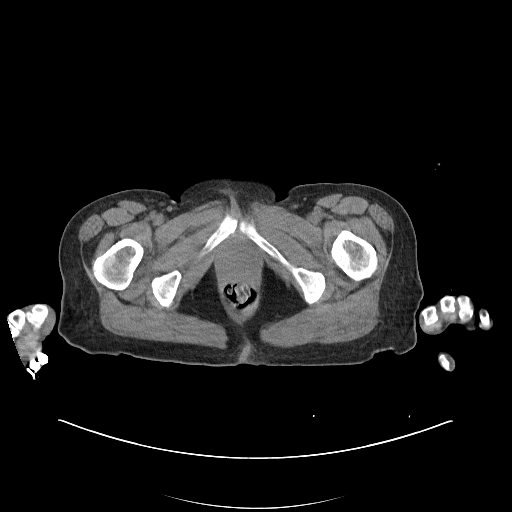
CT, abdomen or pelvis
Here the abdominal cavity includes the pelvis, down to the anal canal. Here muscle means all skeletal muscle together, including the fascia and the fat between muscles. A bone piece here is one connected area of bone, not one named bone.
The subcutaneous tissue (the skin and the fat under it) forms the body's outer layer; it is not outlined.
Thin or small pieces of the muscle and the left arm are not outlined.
Outlines:
left arm 1: (460, 294) (467, 296) (473, 300) (478, 309) (482, 306) (485, 307) (489, 316) (492, 318) (492, 327) (488, 330) (484, 330) (479, 326) (473, 329) (468, 329) (459, 323) (452, 323) (441, 333) (435, 335) (424, 333) (417, 320) (422, 311) (429, 304) (445, 296)
left arm 2: (440, 350) (445, 350) (447, 352) (448, 352) (454, 358) (454, 360) (455, 361) (455, 369) (453, 371) (447, 371) (446, 370) (445, 370) (442, 367) (442, 366) (439, 363) (439, 362) (438, 361) (438, 352)
right arm: (30, 303) (48, 304) (52, 306) (57, 315) (57, 325) (52, 329) (51, 332) (42, 342) (42, 348) (41, 351) (39, 352) (40, 353) (39, 355) (24, 364) (18, 353) (17, 348) (13, 342) (14, 339) (11, 337) (10, 329) (7, 322) (7, 317) (14, 310)
bones 1: (226, 214) (239, 221) (245, 220) (252, 222) (256, 230) (292, 265) (321, 272) (325, 277) (325, 289) (319, 299) (311, 304) (307, 303) (304, 300) (300, 286) (292, 274) (279, 261) (242, 233) (238, 227) (233, 234) (225, 237) (211, 251) (200, 257) (199, 253) (206, 241)
bones 2: (122, 238) (131, 238) (134, 239) (141, 244) (143, 247) (144, 252) (142, 258) (139, 264) (135, 269) (133, 273) (133, 276) (127, 287) (122, 290) (114, 290) (108, 288) (106, 286) (101, 284) (95, 278) (92, 270) (92, 265) (94, 260) (98, 256) (101, 255) (110, 246)
bones 3: (344, 229) (349, 230) (354, 234) (365, 239) (374, 247) (376, 251) (376, 255) (377, 256) (378, 262) (377, 263) (377, 268) (376, 270) (369, 278) (366, 278) (362, 280) (356, 281) (350, 278) (331, 259) (331, 257) (330, 256) (330, 249) (332, 246) (333, 241) (337, 235)
bones 4: (36, 304) (44, 304) (47, 306) (48, 309) (48, 314) (40, 328) (35, 329) (31, 324) (27, 323) (21, 330) (19, 335) (15, 338) (12, 338) (11, 337) (10, 329) (7, 322) (7, 317) (9, 314) (14, 310) (17, 309) (20, 309) (23, 311) (30, 310) (31, 308)
bones 5: (173, 270) (178, 270) (180, 272) (181, 274) (181, 279) (178, 285) (178, 287) (177, 288) (177, 290) (176, 291) (173, 302) (169, 307) (163, 307) (160, 305) (158, 301) (155, 298) (152, 292) (151, 281) (154, 277) (156, 276) (159, 276) (164, 273) (170, 272)
bones 6: (445, 296) (452, 296) (455, 298) (460, 296) (467, 296) (469, 298) (473, 310) (473, 314) (471, 318) (466, 321) (464, 321) (458, 315) (459, 305) (456, 302) (454, 303) (455, 307) (455, 311) (454, 312) (452, 313) (450, 312) (446, 313) (442, 312) (440, 306) (440, 301)
bones 7: (428, 306) (434, 306) (436, 308) (436, 313) (437, 314) (437, 316) (438, 317) (438, 319) (437, 320) (437, 321) (436, 321) (432, 324) (430, 324) (429, 325) (427, 325) (425, 323) (425, 322) (424, 321) (424, 318) (422, 316) (422, 314) (421, 313) (422, 312) (422, 311)
bones 8: (480, 311) (487, 311) (487, 312) (488, 313) (488, 314) (489, 315) (489, 326) (488, 327) (485, 327) (484, 326) (483, 326) (482, 325) (481, 325) (481, 321) (480, 320) (480, 318) (479, 317) (479, 312)
bones 9: (441, 354) (443, 354) (445, 356) (445, 357) (448, 360) (448, 361) (449, 362) (449, 369) (448, 370) (447, 370) (439, 362) (439, 357) (440, 356) (440, 355)
muscle 1: (345, 192) (376, 201) (394, 222) (392, 255) (379, 293) (380, 321) (368, 334) (347, 342) (292, 348) (262, 342) (260, 328) (298, 311) (302, 302) (294, 287) (288, 289) (266, 264) (258, 308) (242, 325) (222, 308) (212, 265) (181, 299) (184, 312) (224, 327) (228, 337) (225, 349) (123, 337) (101, 325) (97, 292) (83, 268) (78, 240) (81, 224) (97, 210) (126, 199) (172, 218) (209, 200) (225, 200) (245, 210) (257, 202) (303, 216) (318, 198), around holes outlined by (232, 238) (241, 238) (248, 242) (259, 255) (258, 257) (259, 266) (257, 272) (257, 284) (256, 285) (257, 298) (250, 312) (247, 315) (242, 317) (236, 317) (232, 315) (223, 300) (221, 292) (222, 284) (219, 276) (217, 264) (214, 260) (214, 256) (218, 248) and by (226, 214) (239, 221) (245, 220) (252, 222) (256, 230) (292, 265) (321, 272) (325, 277) (325, 289) (319, 299) (311, 304) (307, 303) (304, 300) (300, 286) (292, 274) (279, 261) (242, 233) (238, 227) (233, 234) (225, 237) (211, 251) (200, 257) (199, 253) (206, 241) and by (122, 238) (131, 238) (134, 239) (141, 244) (143, 247) (144, 252) (142, 258) (139, 264) (135, 269) (133, 273) (133, 276) (127, 287) (122, 290) (114, 290) (108, 288) (106, 286) (101, 284) (95, 278) (92, 270) (92, 265) (94, 260) (98, 256) (101, 255) (110, 246) and by (344, 229) (349, 230) (354, 234) (365, 239) (374, 247) (376, 251) (376, 255) (377, 256) (378, 262) (377, 263) (377, 268) (376, 270) (369, 278) (366, 278) (362, 280) (356, 281) (350, 278) (331, 259) (331, 257) (330, 256) (330, 249) (332, 246) (333, 241) (337, 235) and by (173, 270) (178, 270) (180, 272) (181, 274) (181, 279) (178, 285) (178, 287) (177, 288) (177, 290) (176, 291) (173, 302) (169, 307) (163, 307) (160, 305) (158, 301) (155, 298) (152, 292) (151, 281) (154, 277) (156, 276) (159, 276) (164, 273) (170, 272)
muscle 2: (49, 311) (51, 314) (51, 323) (49, 325) (49, 327) (44, 333) (44, 335) (37, 341) (32, 348) (26, 354) (21, 357) (18, 353) (17, 348) (15, 346) (13, 340) (20, 335) (22, 330) (27, 324) (31, 325) (35, 330) (40, 329) (43, 325) (46, 318) (48, 316)
muscle 3: (455, 303) (458, 305) (457, 315) (463, 320) (461, 323) (458, 323) (455, 320) (444, 321) (441, 326) (433, 332) (426, 331) (423, 328) (420, 322) (422, 317) (424, 323) (427, 326) (432, 325) (439, 319) (437, 313) (437, 308) (439, 306) (442, 313) (452, 314) (456, 311)
abdominal cavity: (232, 238) (241, 238) (248, 242) (259, 255) (258, 257) (259, 266) (257, 272) (257, 284) (256, 285) (257, 298) (250, 312) (247, 315) (242, 317) (236, 317) (232, 315) (223, 300) (221, 292) (222, 284) (219, 276) (217, 264) (214, 260) (214, 256) (218, 248)
torso: (214, 177) (261, 181) (277, 199) (293, 186) (317, 182) (365, 184) (397, 199) (415, 231) (423, 286) (414, 347) (350, 365) (208, 366) (90, 354) (70, 345) (56, 326) (62, 295) (58, 247) (71, 216) (99, 197) (132, 188) (164, 191) (178, 200) (188, 185)